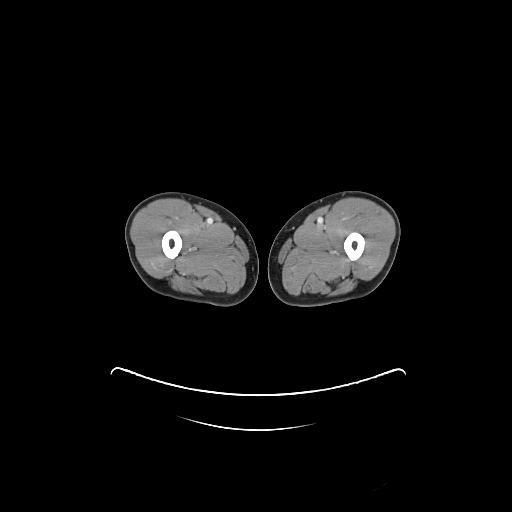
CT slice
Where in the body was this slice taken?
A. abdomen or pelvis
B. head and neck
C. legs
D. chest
Answer: C. legs
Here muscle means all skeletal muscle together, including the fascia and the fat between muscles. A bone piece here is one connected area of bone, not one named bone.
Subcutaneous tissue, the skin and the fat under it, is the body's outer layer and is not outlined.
The muscle appears in 2 outlined pieces: piece 1: [[345,197],[361,197],[369,199],[383,207],[392,216],[395,224],[395,236],[390,248],[389,255],[383,267],[372,279],[360,287],[345,293],[324,298],[312,299],[302,299],[289,294],[283,287],[280,280],[278,254],[282,245],[297,224],[308,214],[321,206]], around a hole outlined by [[353,231],[356,231],[357,232],[360,233],[364,237],[364,239],[365,240],[365,244],[364,245],[364,248],[363,249],[363,251],[362,252],[361,255],[356,260],[350,260],[347,256],[347,255],[343,248],[343,242],[344,241],[346,236],[350,232],[352,232]]; piece 2: [[170,197],[181,198],[198,203],[215,211],[236,231],[244,241],[249,253],[249,271],[245,283],[237,292],[233,294],[217,295],[186,293],[173,289],[169,285],[152,277],[143,269],[135,255],[134,247],[130,237],[132,220],[135,214],[148,203],[160,198]] with a hole at [[171,229],[176,230],[179,233],[182,239],[182,246],[181,247],[181,249],[179,253],[174,258],[169,258],[167,257],[164,254],[162,250],[162,247],[161,246],[161,239],[162,238],[162,236],[165,232]]. The right leg is outlined by [[165,191],[191,193],[214,201],[235,214],[246,226],[254,240],[257,249],[259,258],[259,275],[253,291],[245,300],[237,305],[229,307],[185,302],[155,293],[149,289],[140,279],[130,262],[124,239],[124,227],[126,219],[131,210],[141,200],[153,194]]. The left leg is outlined by [[343,190],[361,190],[375,194],[389,203],[395,210],[400,222],[401,236],[395,259],[389,272],[375,290],[368,295],[358,299],[313,307],[297,307],[290,306],[283,303],[272,292],[267,277],[268,254],[276,234],[284,223],[295,212],[308,203],[325,195]]. The bones appear in 2 outlined pieces: piece 1: [[353,231],[356,231],[357,232],[360,233],[364,237],[364,239],[365,240],[365,244],[364,245],[364,248],[363,249],[363,251],[362,252],[361,255],[356,260],[350,260],[347,256],[347,255],[343,248],[343,242],[344,241],[346,236],[350,232],[352,232]]; piece 2: [[171,229],[176,230],[179,233],[182,239],[182,246],[181,247],[181,249],[179,253],[174,258],[169,258],[167,257],[164,254],[162,250],[162,247],[161,246],[161,239],[162,238],[162,236],[165,232]].